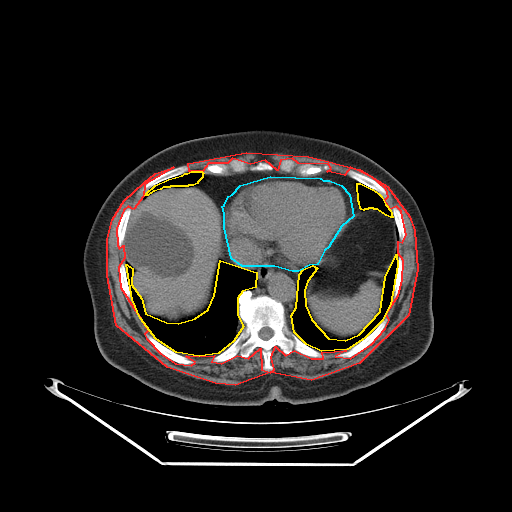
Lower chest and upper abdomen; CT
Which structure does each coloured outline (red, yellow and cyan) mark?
red: muscle; yellow: thoracic cavity; cyan: pericardium.
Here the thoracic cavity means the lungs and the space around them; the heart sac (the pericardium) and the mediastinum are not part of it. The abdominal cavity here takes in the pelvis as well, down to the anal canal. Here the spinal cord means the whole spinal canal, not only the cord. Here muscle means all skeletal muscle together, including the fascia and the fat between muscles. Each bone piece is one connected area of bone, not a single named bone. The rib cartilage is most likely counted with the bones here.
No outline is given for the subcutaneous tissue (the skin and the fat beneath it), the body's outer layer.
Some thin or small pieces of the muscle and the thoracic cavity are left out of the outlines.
The muscle is outlined by 246 152; 308 156; 359 169; 387 186; 409 216; 414 230; 417 269; 408 315; 359 363; 311 380; 270 372; 235 385; 215 383; 167 367; 116 325; 107 275; 107 239; 112 219; 124 200; 144 182; 155 173; 173 167; 144 184; 143 196; 133 209; 128 206; 123 210; 116 228; 117 245; 119 248; 123 245; 124 258; 118 267; 120 287; 148 330; 144 334; 146 338; 160 353; 175 363; 191 365; 195 362; 186 356; 214 355; 211 361; 221 363; 237 355; 248 358; 260 348; 261 369; 270 372; 274 369; 271 357; 275 346; 285 355; 294 350; 311 358; 323 358; 322 352; 346 350; 335 356; 350 358; 371 344; 385 328; 389 320; 386 313; 398 295; 402 280; 403 260; 398 253; 398 241; 402 242; 406 235; 401 211; 396 206; 390 209; 384 200; 388 196; 386 189; 372 177; 350 167; 344 175; 327 171; 331 168; 328 164; 298 163; 292 158; 280 160; 277 170; 265 160; 250 164; 232 158; 227 163; 208 163; 202 171; 189 171; 188 163. The thoracic cavity appears in 4 outlined pieces: piece 1: 220 260; 256 272; 255 287; 242 291; 237 298; 237 315; 243 326; 233 341; 218 353; 199 356; 176 352; 156 339; 140 318; 132 299; 126 264; 132 268; 131 284; 141 298; 145 313; 166 322; 178 323; 195 318; 208 309; 214 295; piece 2: 396 254; 397 265; 390 304; 381 321; 364 338; 347 349; 321 351; 306 344; 294 332; 291 315; 296 307; 299 274; 303 269; 312 265; 317 268; 307 281; 304 290; 305 305; 311 319; 328 338; 345 340; 359 334; 380 311; 385 277; piece 3: 357 183; 360 183; 372 189; 378 193; 381 196; 385 204; 390 210; 392 217; 390 217; 386 215; 377 209; 374 209; 373 208; 368 208; 367 209; 364 209; 363 210; 361 209; 360 208; 359 202; 358 201; piece 4: 191 171; 201 171; 203 173; 202 174; 202 177; 197 182; 197 183; 193 185; 188 185; 187 186; 170 186; 169 187; 163 187; 160 189; 153 191; 147 195; 145 195; 146 193; 155 185; 168 179; 182 175; 185 173; 187 173. The pericardium is outlined by 270 176; 320 178; 323 180; 329 180; 341 185; 349 194; 353 216; 341 226; 328 247; 324 250; 317 264; 309 265; 298 271; 292 271; 274 266; 242 266; 231 258; 224 227; 224 213; 222 206; 224 205; 228 196; 232 194; 240 185. The mediastinum appears in 2 outlined pieces: piece 1: 274 170; 293 173; 302 177; 312 176; 323 172; 347 176; 357 182; 357 201; 360 211; 357 213; 352 211; 350 194; 335 181; 320 177; 292 177; 284 175; 270 175; 242 183; 227 196; 221 205; 215 197; 196 184; 204 173; 231 175; 247 171; 271 172; piece 2: 226 254; 228 254; 236 264; 242 267; 274 267; 292 272; 301 270; 298 274; 299 280; 296 285; 295 307; 290 315; 292 330; 286 319; 284 305; 279 300; 267 294; 253 295; 251 291; 256 287; 258 282; 257 272; 228 263; 224 260. The spinal cord is outlined by 264 327; 268 327; 269 328; 270 328; 272 330; 272 331; 273 332; 273 333; 272 334; 272 335; 271 336; 271 337; 270 338; 269 338; 268 339; 267 339; 266 340; 265 340; 264 339; 262 339; 259 336; 259 331; 262 328; 263 328. The torso is outlined by 254 129; 290 132; 350 147; 385 168; 412 195; 435 254; 434 330; 418 360; 373 385; 340 397; 298 405; 273 399; 260 406; 224 406; 161 393; 113 367; 102 356; 94 337; 93 308; 82 261; 88 233; 109 193; 140 162; 172 144. The bones appear in 11 outlined pieces: piece 1: 247 290; 254 297; 267 295; 279 301; 291 330; 324 356; 311 357; 294 349; 285 354; 275 345; 271 349; 273 369; 270 371; 262 369; 264 359; 260 347; 248 357; 237 354; 213 362; 212 358; 225 350; 244 326; 238 315; 238 298, around a hole outlined by 264 327; 268 327; 269 328; 270 328; 272 330; 272 331; 273 332; 273 333; 272 334; 272 335; 271 336; 271 337; 270 338; 269 338; 268 339; 267 339; 266 340; 265 340; 264 339; 262 339; 259 336; 259 331; 262 328; 263 328; piece 2: 232 159; 244 160; 250 165; 251 164; 256 164; 259 161; 265 161; 273 164; 274 169; 271 171; 251 171; 247 170; 244 172; 233 172; 231 170; 229 170; 225 174; 205 173; 203 172; 203 170; 206 165; 214 163; 225 163; 227 164; piece 3: 284 159; 292 159; 298 164; 299 163; 310 163; 319 166; 328 165; 330 168; 326 171; 323 171; 316 174; 308 175; 307 176; 302 176; 293 172; 289 172; 288 173; 286 172; 280 172; 278 171; 278 167; 277 166; 278 163; piece 4: 385 316; 387 316; 388 317; 388 320; 384 328; 371 343; 370 343; 366 347; 365 347; 363 349; 350 357; 339 357; 338 356; 336 356; 336 355; 338 353; 341 353; 342 352; 346 351; 349 348; 364 339; 377 327; 377 326; 382 321; piece 5: 146 333; 150 334; 156 340; 157 340; 164 346; 174 351; 176 353; 178 353; 181 355; 183 355; 187 357; 189 359; 191 359; 194 362; 191 364; 181 364; 180 363; 173 361; 171 359; 164 355; 161 352; 160 352; 149 341; 145 334; piece 6: 184 164; 186 164; 189 166; 189 170; 187 172; 185 172; 182 174; 163 180; 152 186; 144 195; 142 193; 142 189; 147 182; 156 177; 158 175; 166 171; 168 171; 174 167; 176 167; 180 165; 183 165; piece 7: 348 168; 350 168; 355 171; 357 171; 362 174; 364 174; 372 178; 374 180; 375 180; 385 189; 385 190; 387 192; 387 196; 383 198; 382 196; 378 192; 377 192; 372 188; 360 182; 358 182; 356 180; 349 177; 346 173; 346 170; piece 8: 128 207; 130 207; 131 209; 131 212; 129 215; 129 218; 127 222; 127 226; 125 230; 125 235; 124 236; 124 239; 123 240; 123 244; 121 247; 119 247; 118 245; 118 236; 117 235; 117 228; 118 227; 119 220; 124 210; piece 9: 393 207; 396 207; 400 211; 403 217; 403 219; 404 220; 404 223; 405 224; 405 235; 404 236; 404 239; 402 241; 399 239; 399 236; 398 235; 398 231; 397 230; 397 227; 394 221; 394 218; 393 217; 393 215; 391 211; piece 10: 123 262; 125 263; 126 278; 127 279; 127 283; 128 284; 128 287; 129 288; 131 299; 133 303; 130 303; 126 299; 125 295; 123 292; 123 290; 121 287; 121 284; 120 283; 120 280; 119 279; 119 267; 120 266; 120 264; piece 11: 399 255; 401 256; 401 259; 402 260; 402 273; 401 274; 401 280; 400 281; 399 289; 398 290; 397 295; 396 297; 393 299; 393 292; 394 291; 394 285; 395 284; 395 279; 396 278; 396 274; 397 273; 397 266; 398 265; 398 257. The abdominal cavity appears in 2 outlined pieces: piece 1: 194 185; 199 186; 209 193; 221 206; 228 253; 217 263; 213 283; 213 295; 207 309; 195 317; 178 322; 170 322; 150 315; 144 310; 142 298; 134 290; 132 284; 133 268; 129 263; 125 262; 124 240; 132 210; 144 196; 163 188; piece 2: 368 209; 377 210; 393 218; 398 238; 397 253; 385 274; 382 300; 379 311; 375 317; 359 333; 345 339; 332 339; 319 329; 308 311; 305 300; 306 286; 318 269; 314 265; 319 263; 325 250; 329 247; 342 226; 346 224; 354 214.